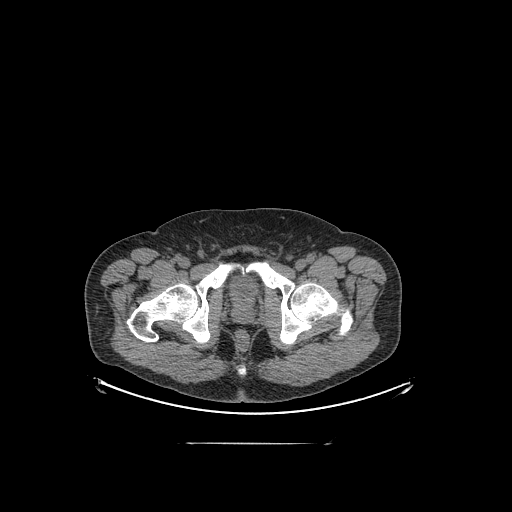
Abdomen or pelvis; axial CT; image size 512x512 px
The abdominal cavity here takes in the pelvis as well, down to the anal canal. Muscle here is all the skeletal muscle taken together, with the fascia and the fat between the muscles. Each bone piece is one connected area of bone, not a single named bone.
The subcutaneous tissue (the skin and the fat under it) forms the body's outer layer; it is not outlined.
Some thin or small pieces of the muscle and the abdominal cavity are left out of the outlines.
Outlines:
abdominal cavity 1: [[236,270],[239,270],[242,274],[254,272],[260,278],[266,288],[265,303],[263,307],[262,315],[263,324],[252,334],[246,355],[241,355],[239,353],[237,340],[233,332],[228,327],[221,324],[221,317],[223,312],[222,311],[223,302],[222,287],[228,276]]
abdominal cavity 2: [[235,253],[250,253],[251,254],[262,256],[262,257],[257,259],[253,259],[249,262],[246,262],[245,261],[241,263],[238,261],[235,262],[229,260],[228,261],[225,260],[222,257],[222,256],[226,256]]
torso: [[263,207],[310,213],[342,230],[367,236],[390,253],[402,283],[401,333],[396,349],[385,361],[361,375],[311,396],[275,403],[224,403],[157,386],[119,367],[102,363],[95,357],[88,339],[84,285],[93,261],[106,247],[129,235],[154,230],[188,212]]
bones 1: [[256,260],[296,284],[321,285],[348,307],[353,322],[345,335],[338,335],[340,318],[332,314],[283,343],[281,291],[239,269],[206,293],[207,342],[172,320],[153,323],[159,336],[153,342],[129,330],[131,312],[166,287],[192,286],[220,261],[245,266]]
bones 2: [[241,363],[244,363],[245,364],[245,365],[246,366],[246,370],[247,371],[247,373],[246,374],[246,375],[245,375],[244,376],[240,376],[239,375],[238,375],[237,374],[237,367],[238,366],[238,365],[239,364],[240,364]]
muscle: [[239,244],[266,247],[273,251],[281,262],[292,267],[295,266],[298,257],[305,253],[325,251],[341,245],[355,247],[376,259],[383,267],[387,278],[374,310],[373,323],[380,338],[376,349],[355,367],[304,386],[273,383],[255,376],[242,379],[228,374],[213,380],[182,383],[125,360],[109,345],[114,318],[100,284],[101,275],[107,266],[115,258],[139,247],[152,248],[165,254],[179,254],[194,265],[207,261],[220,248]]; inner edges: [[235,253],[262,256],[296,284],[321,285],[350,309],[351,328],[339,336],[332,314],[285,344],[282,294],[267,287],[263,324],[241,355],[221,324],[222,288],[211,287],[207,342],[172,320],[153,323],[156,341],[137,338],[126,320],[142,301],[194,285]], then [[264,329],[265,329],[266,333],[271,343],[271,346],[272,347],[272,350],[274,355],[272,357],[267,357],[261,360],[259,362],[254,364],[252,360],[252,357],[251,356],[251,353],[252,352],[252,346],[254,342],[254,338],[256,335],[257,335]], then [[221,330],[222,331],[227,333],[229,335],[229,336],[234,345],[234,349],[233,350],[232,357],[231,358],[231,360],[230,361],[229,360],[228,360],[227,359],[225,359],[216,354],[218,351],[218,344],[219,343],[219,337],[220,336],[220,331]], then [[241,363],[244,363],[245,364],[245,365],[246,366],[246,370],[247,371],[247,373],[246,374],[246,375],[245,375],[244,376],[240,376],[239,375],[238,375],[237,374],[237,367],[238,366],[238,365],[239,364],[240,364]]